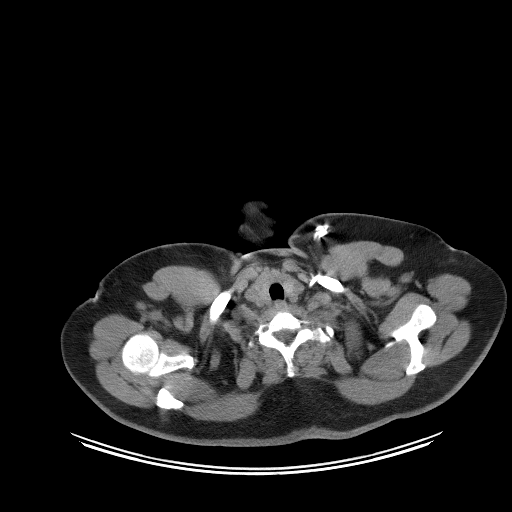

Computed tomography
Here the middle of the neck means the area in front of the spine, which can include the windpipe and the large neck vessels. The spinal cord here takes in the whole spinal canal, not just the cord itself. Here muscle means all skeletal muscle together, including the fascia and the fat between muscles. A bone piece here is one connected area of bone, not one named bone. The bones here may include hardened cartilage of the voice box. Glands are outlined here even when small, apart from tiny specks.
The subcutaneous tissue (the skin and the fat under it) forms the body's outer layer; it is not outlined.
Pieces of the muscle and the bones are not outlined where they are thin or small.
The head and neck is outlined by 252 199; 262 199; 266 201; 270 206; 270 213; 278 220; 278 223; 275 228; 276 229; 276 233; 274 237; 271 239; 267 244; 261 246; 256 246; 255 247; 246 247; 238 241; 236 237; 236 229; 240 222; 239 210; 241 205; 245 201. The right arm is outlined by 96 292; 98 292; 120 304; 126 309; 150 334; 159 350; 159 366; 158 369; 152 381; 142 394; 133 402; 117 411; 111 412; 108 414; 106 414; 96 405; 72 379; 64 365; 60 349; 60 333; 66 318; 76 306; 89 297; 93 296. The torso is outlined by 326 212; 420 224; 474 255; 468 265; 472 286; 506 307; 487 354; 455 394; 426 412; 354 437; 273 446; 176 442; 108 415; 136 401; 160 366; 151 334; 120 303; 96 291; 108 271; 166 243; 203 242; 235 251; 285 248; 298 225. The bones appear in 6 outlined pieces: piece 1: 280 310; 289 311; 299 319; 312 320; 314 327; 322 327; 328 324; 334 330; 333 337; 325 343; 307 340; 297 347; 292 359; 295 367; 293 377; 287 376; 286 363; 280 352; 275 348; 259 344; 258 337; 254 334; 261 322; 268 322, around a hole outlined by 284 329; 287 329; 288 330; 291 330; 292 331; 295 331; 295 334; 294 335; 293 338; 289 343; 285 343; 284 342; 283 342; 282 341; 279 340; 274 335; 274 333; 275 332; 277 332; 278 331; 280 331; 281 330; 283 330; piece 2: 139 332; 146 332; 148 333; 156 341; 159 349; 162 352; 168 355; 174 355; 183 350; 186 351; 194 358; 195 360; 194 366; 191 369; 180 368; 157 377; 149 376; 146 374; 134 374; 123 365; 121 358; 121 349; 126 340; 130 336; piece 3: 421 303; 432 308; 436 320; 432 326; 422 330; 418 335; 424 347; 422 360; 426 365; 425 368; 415 374; 406 375; 405 368; 410 360; 408 343; 402 340; 388 347; 385 345; 393 339; 389 334; 390 332; 405 323; 411 317; 415 307; piece 4: 229 288; 231 288; 232 289; 232 292; 231 293; 231 297; 229 301; 227 303; 225 308; 219 316; 218 320; 216 322; 216 323; 212 324; 209 320; 209 308; 212 302; 216 297; 216 296; 221 291; 225 290; 226 289; 228 289; piece 5: 162 386; 166 386; 167 389; 177 399; 178 399; 183 402; 183 403; 184 404; 183 405; 183 406; 181 408; 180 408; 179 409; 165 409; 164 408; 161 408; 160 407; 158 407; 155 404; 155 398; 156 397; 157 392; 158 391; 158 390; piece 6: 317 274; 320 274; 321 275; 327 275; 330 277; 332 277; 333 278; 335 278; 336 279; 337 279; 342 284; 342 285; 344 287; 344 291; 343 292; 334 292; 333 291; 324 287; 322 285; 321 285; 317 281; 314 281; 312 283; 312 277. The middle of the neck is outlined by 272 277; 279 278; 284 294; 288 298; 293 291; 292 279; 296 280; 303 286; 303 292; 296 299; 295 303; 281 303; 273 307; 259 307; 245 297; 245 291; 251 286; 256 286; 263 304; 268 304; 270 302; 268 289; 273 279. The left arm is outlined by 474 256; 477 257; 479 259; 492 267; 499 274; 499 275; 503 280; 503 282; 506 288; 506 292; 507 293; 507 301; 506 302; 506 305; 498 303; 495 301; 493 301; 483 296; 481 294; 480 294; 473 286; 469 277; 469 265; 472 258. The spinal cord is outlined by 284 329; 287 329; 288 330; 291 330; 292 331; 295 331; 295 334; 294 335; 293 338; 289 343; 285 343; 284 342; 283 342; 282 341; 279 340; 274 335; 274 333; 275 332; 277 332; 278 331; 280 331; 281 330; 283 330. The muscle is outlined by 356 240; 400 248; 423 285; 451 273; 472 288; 465 310; 471 338; 453 358; 424 370; 419 335; 437 320; 426 303; 418 303; 389 332; 392 339; 384 347; 405 341; 404 373; 419 373; 402 395; 358 404; 331 384; 300 378; 269 388; 246 418; 207 421; 127 404; 97 380; 87 349; 94 323; 111 312; 135 318; 135 302; 147 298; 141 284; 159 268; 190 265; 233 276; 263 258; 317 259 with holes at 280 310; 289 311; 299 319; 312 320; 314 327; 322 327; 328 324; 334 330; 333 337; 325 343; 307 340; 297 347; 292 359; 295 367; 293 377; 287 376; 286 363; 280 352; 275 348; 259 344; 258 337; 254 334; 261 322; 268 322 and at 139 332; 146 332; 148 333; 156 341; 159 349; 162 352; 168 355; 174 355; 183 350; 186 351; 194 358; 195 360; 194 366; 191 369; 180 368; 157 377; 149 376; 146 374; 134 374; 123 365; 121 358; 121 349; 126 340; 130 336 and at 267 277; 291 278; 294 280; 296 280; 303 286; 304 288; 303 292; 296 299; 295 303; 293 304; 281 303; 273 307; 259 307; 255 303; 253 303; 249 299; 245 297; 245 291; 251 286; 255 287; 257 282; 261 279 and at 229 288; 231 288; 232 289; 232 292; 231 293; 231 297; 229 301; 227 303; 225 308; 219 316; 218 320; 216 322; 216 323; 212 324; 209 320; 209 308; 212 302; 216 297; 216 296; 221 291; 225 290; 226 289; 228 289 and at 162 386; 166 386; 167 389; 177 399; 178 399; 183 402; 183 403; 184 404; 183 405; 183 406; 181 408; 180 408; 179 409; 165 409; 164 408; 161 408; 160 407; 158 407; 155 404; 155 398; 156 397; 157 392; 158 391; 158 390 and at 317 274; 320 274; 321 275; 327 275; 330 277; 332 277; 333 278; 335 278; 336 279; 337 279; 342 284; 342 285; 344 287; 344 291; 343 292; 334 292; 333 291; 324 287; 322 285; 321 285; 317 281; 314 281; 312 283; 312 277. The thyroid glands appear in 2 outlined pieces: piece 1: 267 277; 271 277; 272 279; 269 283; 268 285; 268 288; 267 289; 267 291; 268 292; 268 295; 269 296; 269 302; 268 303; 266 303; 264 304; 264 301; 259 292; 259 290; 256 285; 256 283; 258 282; 261 279; 263 279; piece 2: 280 278; 291 278; 291 280; 292 281; 292 291; 291 292; 291 294; 288 297; 285 294; 285 292; 284 291; 284 288; 283 287; 283 286; 282 285; 282 284; 281 283; 281 282; 280 281; 280 280; 279 279.